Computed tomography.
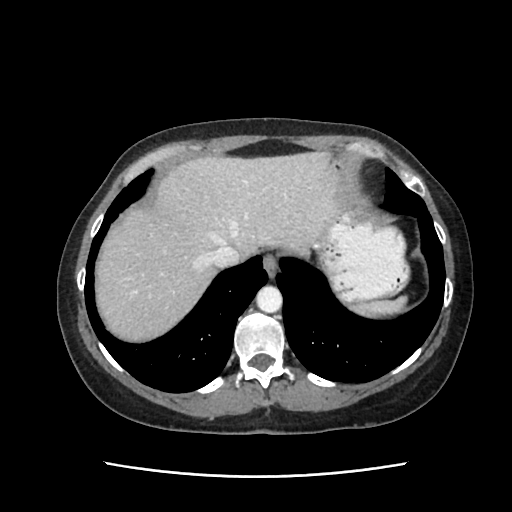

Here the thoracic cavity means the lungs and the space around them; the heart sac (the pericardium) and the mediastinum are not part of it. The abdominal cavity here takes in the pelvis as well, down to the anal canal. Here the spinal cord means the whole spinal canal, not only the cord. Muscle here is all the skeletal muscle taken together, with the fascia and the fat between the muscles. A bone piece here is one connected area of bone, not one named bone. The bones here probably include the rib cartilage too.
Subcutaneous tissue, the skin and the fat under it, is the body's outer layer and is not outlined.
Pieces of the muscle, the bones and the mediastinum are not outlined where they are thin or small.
{"spinal_cord":[[[260,370],[264,370],[267,367],[268,365],[271,364],[273,361],[272,359],[271,359],[268,356],[266,355],[264,355],[263,354],[261,354],[260,355],[257,355],[255,356],[252,359],[252,360],[249,363],[249,364],[258,368]]],"thoracic_cavity":[[[343,383],[366,382],[399,365],[423,343],[442,304],[445,272],[442,247],[432,219],[424,202],[388,168],[381,206],[417,219],[420,248],[430,277],[427,297],[396,319],[367,318],[343,307],[327,278],[305,261],[284,258],[278,278],[288,345],[309,371]],[[172,393],[193,391],[222,373],[237,318],[267,276],[262,255],[254,256],[217,274],[183,319],[158,337],[127,344],[108,334],[94,303],[94,260],[110,223],[144,194],[150,169],[130,182],[105,214],[87,259],[85,301],[97,337],[120,365],[142,383]]],"muscle":[{"outer":[[199,418],[219,417],[220,416],[236,416],[237,415],[249,413],[254,409],[258,409],[263,407],[269,407],[270,406],[278,406],[283,409],[294,412],[325,412],[326,411],[330,411],[346,407],[371,394],[381,391],[404,379],[427,360],[439,346],[442,338],[446,333],[446,330],[448,326],[450,313],[451,312],[451,305],[453,301],[453,296],[456,285],[454,256],[452,252],[452,246],[451,245],[450,236],[448,232],[447,226],[438,211],[423,178],[413,168],[406,163],[399,156],[396,155],[387,148],[385,145],[375,139],[372,139],[368,137],[364,136],[350,136],[349,135],[262,135],[261,134],[238,134],[237,135],[226,135],[225,136],[211,137],[203,139],[180,140],[179,141],[173,141],[162,144],[160,146],[156,147],[139,156],[128,164],[113,181],[110,188],[96,207],[88,220],[85,231],[82,237],[81,245],[74,267],[73,278],[74,279],[75,292],[77,298],[77,326],[78,330],[84,342],[84,344],[92,356],[106,372],[110,374],[122,384],[140,396],[154,403],[164,406],[171,410],[189,416],[198,417]],"hole":[[200,394],[212,392],[224,384],[220,375],[233,349],[240,368],[236,386],[241,379],[254,379],[265,389],[272,378],[283,374],[293,380],[294,374],[284,365],[282,357],[286,339],[297,359],[309,371],[307,379],[323,387],[335,387],[338,382],[366,382],[388,372],[393,375],[413,363],[453,293],[453,284],[444,271],[445,234],[427,211],[423,201],[426,190],[420,179],[403,170],[396,174],[386,165],[372,160],[384,157],[383,151],[378,146],[359,142],[347,144],[345,150],[311,149],[276,139],[219,151],[174,146],[151,152],[134,163],[124,177],[126,188],[92,225],[92,243],[87,263],[77,273],[77,287],[85,296],[88,316],[99,339],[98,347],[113,367],[162,391]]}],"abdominal_cavity":[[[127,343],[144,342],[165,332],[182,319],[220,270],[271,248],[289,251],[318,268],[339,302],[360,316],[396,318],[422,301],[429,290],[417,221],[391,213],[368,197],[337,152],[212,157],[154,173],[145,194],[111,223],[94,266],[100,319],[108,333]]],"torso":[[[219,435],[316,434],[380,426],[424,406],[448,379],[473,306],[469,237],[461,212],[449,193],[407,148],[387,134],[359,124],[284,117],[230,118],[170,127],[127,148],[77,216],[58,266],[56,312],[68,355],[83,383],[103,405],[128,420],[169,431]]],"mediastinum":[[[380,206],[384,196],[385,172],[387,166],[349,150],[311,149],[281,140],[269,139],[233,149],[219,151],[187,149],[169,157],[152,168],[155,170],[155,174],[158,174],[172,166],[212,156],[239,156],[316,150],[337,151],[348,165],[354,179],[367,195]],[[236,326],[245,315],[253,311],[261,311],[266,314],[273,315],[282,323],[282,296],[277,287],[280,264],[284,257],[294,257],[304,260],[289,252],[276,249],[271,249],[262,253],[262,268],[267,273],[268,280],[266,284],[257,292],[242,315],[238,318]]],"bones":[{"outer":[[265,389],[274,377],[283,374],[286,374],[291,380],[295,377],[290,369],[284,365],[282,357],[285,347],[283,325],[273,316],[261,312],[253,312],[245,316],[235,328],[233,349],[238,358],[240,368],[235,385],[238,386],[241,379],[254,379]],"hole":[[260,370],[264,370],[267,367],[268,365],[271,364],[273,361],[272,359],[271,359],[268,356],[266,355],[264,355],[263,354],[261,354],[260,355],[257,355],[255,356],[252,359],[252,360],[249,363],[249,364],[258,368]]},[[124,187],[126,187],[129,184],[130,181],[133,180],[139,175],[151,168],[153,165],[173,154],[184,150],[186,148],[184,146],[174,146],[173,147],[162,148],[154,152],[151,152],[140,158],[132,165],[128,173],[124,177],[124,180],[123,181],[123,186]],[[423,200],[425,199],[425,197],[426,196],[426,190],[425,189],[425,186],[420,180],[420,179],[417,176],[415,176],[411,174],[409,172],[407,172],[403,170],[400,170],[396,174],[400,178],[400,179],[405,185],[405,186],[408,189],[418,195]],[[371,158],[382,158],[384,157],[384,153],[383,151],[378,146],[370,146],[369,145],[363,145],[359,142],[349,143],[346,145],[346,149],[349,149],[350,150],[354,150],[355,151],[357,151],[361,154],[363,154],[365,156],[367,157],[370,157]],[[200,394],[206,394],[207,393],[209,393],[210,392],[212,392],[214,391],[216,389],[222,386],[224,384],[224,379],[221,376],[218,376],[208,384],[203,386],[201,388],[199,388],[195,390],[193,392],[192,392],[194,392],[195,393],[199,393]],[[392,375],[394,374],[396,374],[398,372],[405,369],[412,363],[413,363],[418,358],[418,357],[422,352],[423,350],[423,347],[421,346],[419,348],[418,348],[405,361],[404,361],[399,366],[398,366],[396,368],[392,370],[390,372],[390,373]],[[323,387],[335,387],[337,384],[337,383],[336,382],[334,382],[333,381],[330,381],[329,380],[324,379],[323,378],[322,378],[311,372],[308,372],[306,374],[306,377],[309,381],[310,381],[312,383],[313,383],[316,385],[318,385],[319,386],[322,386]],[[441,310],[446,308],[449,305],[449,304],[450,303],[450,301],[451,300],[451,298],[452,297],[452,294],[453,293],[453,284],[452,283],[451,280],[447,276],[446,276],[446,278],[445,279],[445,286],[444,287],[444,294],[443,295],[443,304],[442,305]],[[120,372],[127,372],[126,372],[125,370],[119,365],[119,364],[110,355],[110,354],[104,347],[102,343],[98,340],[97,341],[97,344],[98,345],[98,347],[101,351],[104,357],[113,367],[114,367],[118,371]],[[83,295],[84,295],[84,285],[85,284],[85,265],[84,265],[82,267],[81,267],[80,268],[80,269],[78,271],[78,272],[77,273],[77,278],[76,279],[76,282],[77,283],[77,287],[78,288],[78,290]],[[92,240],[92,239],[97,233],[97,232],[102,223],[102,221],[103,220],[103,218],[104,217],[104,214],[105,213],[105,212],[103,212],[102,213],[101,213],[95,219],[95,220],[92,225],[92,227],[91,228],[91,230],[90,231],[90,237]],[[442,246],[444,246],[444,245],[445,244],[445,234],[444,233],[444,231],[443,230],[442,227],[435,220],[433,220],[433,225],[434,226],[434,228],[435,229],[435,231],[436,232],[436,234],[437,235],[437,237],[438,238],[440,243],[442,245]]]}